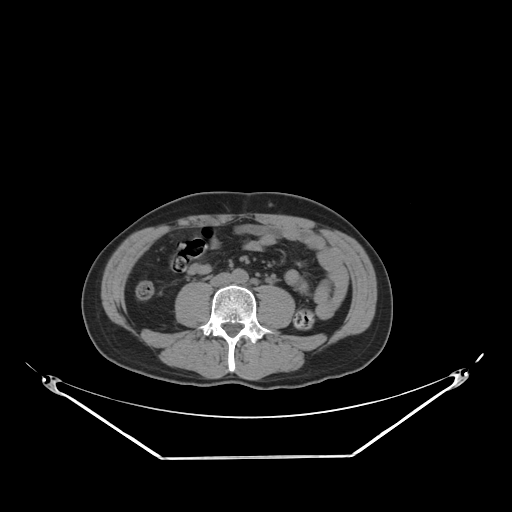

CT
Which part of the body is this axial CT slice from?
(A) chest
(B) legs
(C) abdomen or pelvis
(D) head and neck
(C) abdomen or pelvis
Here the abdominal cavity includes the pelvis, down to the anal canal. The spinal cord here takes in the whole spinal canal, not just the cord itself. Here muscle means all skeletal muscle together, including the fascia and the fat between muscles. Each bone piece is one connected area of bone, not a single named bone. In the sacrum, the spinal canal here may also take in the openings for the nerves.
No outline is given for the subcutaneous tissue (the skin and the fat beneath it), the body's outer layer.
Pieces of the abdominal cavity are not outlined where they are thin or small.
The torso is outlined by 214 190; 297 194; 328 206; 358 229; 381 258; 393 294; 390 334; 376 358; 361 370; 341 377; 297 388; 262 390; 234 383; 214 386; 172 383; 118 366; 98 352; 85 329; 80 306; 84 279; 97 254; 119 232; 155 207; 190 193. The muscle is outlined by 255 212; 298 216; 333 226; 361 245; 377 282; 375 313; 363 332; 308 356; 300 368; 275 379; 249 380; 231 373; 236 369; 235 348; 242 339; 255 344; 264 335; 275 333; 258 320; 255 287; 277 286; 291 295; 295 310; 281 331; 299 336; 320 333; 330 336; 344 323; 352 299; 348 267; 326 239; 314 231; 271 227; 253 218; 166 232; 135 262; 124 287; 125 307; 132 321; 143 328; 172 333; 188 328; 176 320; 174 311; 176 296; 182 287; 191 282; 209 284; 213 290; 210 314; 197 328; 207 337; 224 340; 229 373; 213 379; 181 373; 163 363; 148 346; 107 316; 100 295; 103 272; 113 252; 130 234; 189 215. The spinal cord is outlined by 226 323; 238 323; 239 324; 241 324; 242 325; 242 327; 241 328; 241 329; 234 336; 230 336; 226 332; 226 331; 223 328; 223 327; 222 326; 223 325; 223 324; 225 324. The bones are outlined by 230 284; 245 287; 253 293; 256 300; 258 322; 274 332; 273 334; 264 334; 255 343; 247 338; 242 338; 234 348; 235 369; 233 372; 228 369; 228 345; 225 340; 219 336; 207 336; 198 328; 206 323; 210 317; 214 293; 219 288 with a hole at 226 323; 238 323; 239 324; 241 324; 242 325; 242 327; 241 328; 241 329; 234 336; 230 336; 226 332; 226 331; 223 328; 223 327; 222 326; 223 325; 223 324; 225 324. The abdominal cavity is outlined by 241 219; 314 232; 333 247; 351 280; 349 308; 337 329; 330 335; 284 333; 296 302; 284 288; 269 284; 253 292; 230 283; 212 296; 209 283; 186 283; 173 304; 175 320; 186 329; 158 331; 129 317; 126 282; 156 240; 170 231.